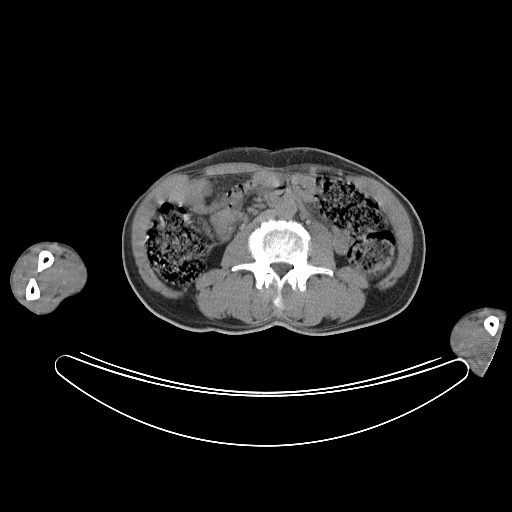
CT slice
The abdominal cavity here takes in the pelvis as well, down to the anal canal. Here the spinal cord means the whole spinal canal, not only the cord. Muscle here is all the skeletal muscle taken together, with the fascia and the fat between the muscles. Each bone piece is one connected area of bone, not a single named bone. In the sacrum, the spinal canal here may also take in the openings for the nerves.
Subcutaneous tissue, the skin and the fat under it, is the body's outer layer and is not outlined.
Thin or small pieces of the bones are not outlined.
Outlined structures:
torso: 234,146 266,149 291,146 319,148 363,165 395,186 411,202 422,222 425,235 423,271 408,305 385,321 329,335 302,334 280,325 241,334 191,331 150,311 132,289 122,264 121,232 129,208 136,198 169,168
left arm: 481,306 497,306 503,308 506,310 506,316 503,324 503,329 501,331 501,335 497,342 497,345 491,359 483,375 477,376 468,368 468,366 464,361 456,357 453,353 449,344 449,334 454,323 462,314 471,309
abdominal cavity: 262,170 335,176 368,194 393,228 396,258 389,272 371,283 360,267 336,265 331,233 321,223 309,232 295,219 268,217 250,232 239,230 220,267 200,273 192,292 162,281 146,243 151,221 172,191 199,176
right arm: 42,240 60,241 64,242 73,247 81,256 87,268 88,277 84,287 79,293 64,299 59,304 58,307 52,312 48,314 38,315 27,309 15,299 10,289 9,276 10,275 10,271 14,262 22,251 31,244
muscle 1: 224,162 252,162 264,166 274,166 275,167 282,167 289,164 298,164 299,163 306,163 307,162 309,163 318,163 319,164 333,166 336,168 340,168 344,170 352,171 358,174 364,174 366,176 371,177 377,180 389,189 398,198 407,211 412,223 413,248 412,249 411,261 405,274 403,275 398,280 397,283 392,287 380,293 368,295 366,298 366,302 363,308 360,312 354,317 346,321 338,322 328,326 297,326 296,325 293,325 284,319 281,319 276,317 259,325 227,325 226,324 219,324 212,319 209,319 203,315 199,311 197,306 195,304 195,302 192,299 190,298 186,298 183,300 177,300 176,299 166,298 159,293 152,290 149,288 144,282 140,274 138,272 138,268 135,263 134,256 132,252 132,247 131,246 131,224 132,223 132,220 134,214 137,208 152,188 166,176 170,174 178,173 185,170 206,167 213,164 223,163, around a hole outlined by 262,170 335,176 368,194 393,228 389,272 371,283 338,267 316,222 307,259 333,275 312,274 304,291 285,283 281,308 274,283 258,289 251,271 231,270 253,260 247,228 192,292 162,281 146,243 172,191
muscle 2: 44,243 56,244 65,247 73,252 77,257 82,267 83,270 83,279 81,284 75,291 62,297 52,308 48,310 41,311 30,306 16,294 13,287 13,274 15,271 15,268 21,258 24,255 27,254 33,247, around holes outlined by 41,250 48,250 50,252 51,252 51,253 53,255 53,262 52,263 52,264 50,266 49,266 48,267 47,267 46,268 43,269 41,271 38,272 37,271 37,264 38,263 38,255 39,254 39,253 and by 31,277 33,277 36,280 37,282 37,284 38,285 38,287 39,288 39,290 40,291 40,295 37,299 34,299 33,300 28,300 26,299 25,297 25,290 26,289 26,286 28,283 28,281
muscle 3: 484,309 498,310 501,312 504,312 506,316 505,321 503,324 503,329 501,331 501,335 497,342 497,345 491,359 486,365 485,371 479,372 471,365 465,357 461,356 458,353 454,343 454,335 459,323 465,317, around a hole outlined by 489,315 494,315 495,316 496,316 498,318 498,319 499,320 499,325 498,326 498,329 497,330 495,335 494,335 493,336 492,335 491,335 486,330 486,329 484,327 484,325 483,324 483,322 484,321 484,319
bones 1: 268,218 301,223 311,237 308,262 333,271 332,276 312,274 306,280 304,291 292,289 285,283 281,289 281,308 273,303 277,295 274,283 258,289 251,271 231,270 234,265 253,260 248,250 248,236 261,220, around a hole outlined by 279,262 282,262 283,263 286,263 287,264 289,264 290,265 291,265 292,266 292,267 290,269 289,269 283,275 279,275 271,267 271,264 272,264 273,263 278,263
bones 2: 41,250 48,250 50,252 51,252 51,253 53,255 53,262 52,263 52,264 50,266 49,266 48,267 47,267 46,268 43,269 41,271 38,272 37,271 37,264 38,263 38,255 39,254 39,253
bones 3: 31,277 33,277 36,280 37,282 37,284 38,285 38,287 39,288 39,290 40,291 40,295 37,299 34,299 33,300 28,300 26,299 25,297 25,290 26,289 26,286 28,283 28,281
bones 4: 489,315 494,315 495,316 496,316 498,318 498,319 499,320 499,325 498,326 498,329 497,330 495,335 494,335 493,336 492,335 491,335 486,330 486,329 484,327 484,325 483,324 483,322 484,321 484,319
spinal cord: 279,262 282,262 283,263 286,263 287,264 289,264 290,265 291,265 292,266 292,267 290,269 289,269 283,275 279,275 271,267 271,264 272,264 273,263 278,263